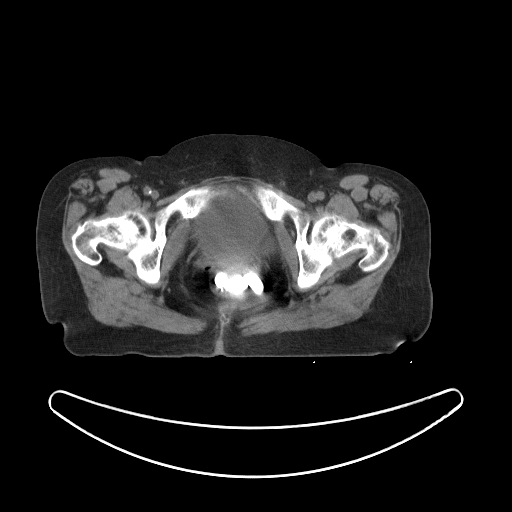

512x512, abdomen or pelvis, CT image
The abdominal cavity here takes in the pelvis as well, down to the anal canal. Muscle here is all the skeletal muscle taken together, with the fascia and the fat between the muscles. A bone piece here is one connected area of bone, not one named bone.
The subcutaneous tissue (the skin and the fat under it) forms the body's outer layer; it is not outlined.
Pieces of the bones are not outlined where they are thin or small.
Outlines:
muscle: 103,167 117,167 131,171 135,177 137,185 142,196 153,202 174,193 188,183 197,182 201,179 217,175 233,175 234,176 257,177 268,182 275,183 283,188 288,194 298,198 308,204 314,205 324,203 326,201 335,182 342,175 347,173 360,173 372,175 387,182 399,194 399,204 402,213 402,231 401,232 400,250 391,267 386,273 381,285 373,299 370,306 370,309 359,318 338,326 329,328 305,329 298,331 286,331 279,333 270,332 263,334 254,334 249,336 242,336 240,333 240,330 235,325 238,322 236,320 234,320 232,322 230,327 226,329 222,335 220,334 218,329 216,330 215,329 214,327 215,321 214,320 211,321 208,326 199,334 167,333 143,326 115,327 106,325 97,321 90,313 87,306 87,299 84,293 80,279 73,262 63,245 61,238 63,212 66,197 68,194 67,193 68,182 74,175 84,169 87,168 102,168, around holes outlined by 267,184 307,212 312,222 333,213 377,227 390,247 386,259 370,271 358,265 365,251 356,249 334,259 317,283 299,288 296,230 287,215 273,222 285,270 248,303 204,307 193,301 181,256 190,219 178,212 166,224 155,284 138,278 123,250 100,243 102,259 90,265 72,248 71,235 89,218 129,209 152,224 158,209 191,187 240,186 249,191 and by 174,271 177,277 177,283 178,284 177,285 177,287 185,299 188,302 190,306 196,311 198,314 198,316 194,316 193,315 186,314 168,305 168,302 166,298 166,291 168,288 168,286 170,282 171,272 173,272 and by 286,278 286,290 288,293 288,296 289,297 289,300 285,304 285,305 282,307 279,307 278,308 275,308 274,307 272,307 275,304 275,301 273,299 273,291 275,289 275,288 276,287 277,287
bones 1: 267,184 307,212 312,222 333,213 361,226 377,227 390,243 386,259 375,269 363,271 358,262 365,251 352,250 334,259 317,283 299,288 292,220 287,215 282,222 268,219 260,206 238,188 249,191 253,185
bones 2: 205,185 226,192 213,198 193,218 182,218 178,212 169,218 157,283 140,280 123,250 100,243 97,248 102,259 96,265 85,263 75,254 71,235 85,220 116,216 129,209 138,210 152,224 158,209 191,187
abdominal cavity: 225,188 237,188 259,206 265,217 273,222 285,270 267,291 259,297 252,297 248,303 238,301 228,305 211,303 204,307 193,301 184,284 183,258 181,256 185,248 190,219 197,217 213,199 224,195 227,192
torso: 222,132 285,139 328,166 384,166 420,189 430,214 433,293 431,321 421,338 402,343 392,353 338,357 77,356 65,348 61,324 48,323 43,314 35,252 38,204 49,179 78,159 142,159 187,138